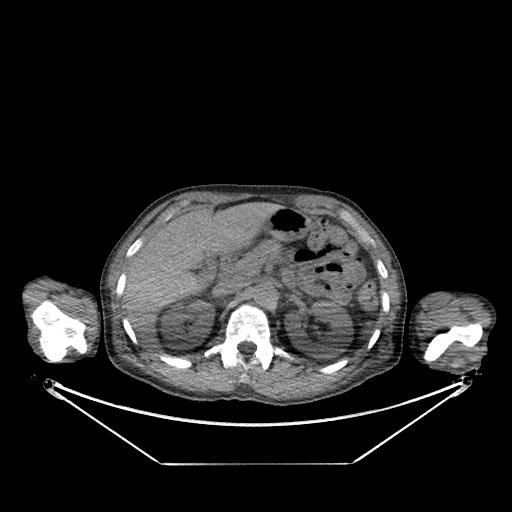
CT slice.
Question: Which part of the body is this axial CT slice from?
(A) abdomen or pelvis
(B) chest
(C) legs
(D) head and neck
Answer: (A) abdomen or pelvis
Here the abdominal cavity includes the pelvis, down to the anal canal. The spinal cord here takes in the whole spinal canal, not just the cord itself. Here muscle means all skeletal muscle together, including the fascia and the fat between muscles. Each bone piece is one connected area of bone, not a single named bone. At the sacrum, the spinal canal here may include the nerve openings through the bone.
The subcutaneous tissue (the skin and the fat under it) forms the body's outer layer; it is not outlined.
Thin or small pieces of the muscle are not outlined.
left arm: 438,289 463,290 481,294 486,297 496,309 496,322 488,337 488,352 482,358 481,365 474,370 470,370 466,375 461,376 442,371 430,370 414,357 409,347 408,327 412,308 415,303 426,293
bones 1: 244,303 256,306 265,313 272,345 279,346 294,357 290,360 274,355 265,370 260,363 253,364 245,372 247,382 240,381 240,375 244,371 240,364 225,368 219,353 208,357 203,354 205,350 224,340 231,312 with a hole at 244,341 246,341 247,342 251,342 255,345 255,349 254,350 253,353 251,355 251,356 250,356 249,357 245,357 244,356 244,355 242,353 241,353 238,349 238,345 240,343 241,343
bones 2: 47,299 52,301 64,313 72,318 78,318 87,326 87,328 84,331 84,336 87,342 87,349 84,354 80,354 74,348 68,346 66,355 59,361 50,361 44,355 39,343 40,330 32,321 30,314 41,302
bones 3: 476,322 479,322 481,324 483,332 479,341 473,346 467,347 456,341 451,344 435,360 428,363 424,360 423,358 423,352 427,347 430,340 436,334 440,332 446,331 453,325 464,325 468,323 475,323
bones 4: 341,208 348,211 357,220 359,224 374,240 375,242 375,244 376,245 374,247 370,244 368,244 365,242 363,242 361,241 356,231 353,228 352,228 351,226 346,221 339,218 338,216 338,210
bones 5: 159,354 167,354 168,355 171,355 172,356 177,356 178,357 183,357 184,358 186,358 190,360 192,364 191,366 187,368 176,368 174,366 169,365 164,361 161,360 158,356
bones 6: 183,200 189,200 189,203 187,205 179,209 171,217 170,217 169,219 168,219 166,221 164,222 157,222 159,218 159,216 160,214 165,209 166,209 171,205 173,204 175,204 178,202 180,202
bones 7: 343,358 347,358 348,359 348,361 347,363 344,366 336,370 334,372 332,372 331,373 324,373 323,372 321,372 319,371 319,369 321,367 323,367 326,365 328,365 329,364 334,363
bones 8: 139,237 142,237 142,238 143,239 143,243 142,244 142,245 139,248 139,249 133,255 132,255 130,257 126,257 126,252 127,251 127,250 128,249 128,248 131,245 131,244 137,238 138,238
bones 9: 124,317 127,318 127,320 129,322 129,323 131,326 131,328 133,330 133,331 135,334 135,337 138,342 138,343 137,344 135,344 134,343 133,343 133,342 128,336 128,335 123,326 123,324 122,323 122,319
bones 10: 123,272 124,272 125,273 125,285 124,286 124,288 123,289 123,292 122,293 122,294 121,295 121,296 118,296 116,293 116,286 117,285 117,282 118,281 118,279 119,278 119,277 120,276 120,275
bones 11: 377,259 380,259 382,261 382,262 383,263 383,264 384,265 384,266 386,268 386,269 387,270 387,273 388,274 388,275 386,278 383,278 379,274 379,273 377,270 377,268 376,267 376,261 377,260
bones 12: 376,328 378,328 380,330 380,333 379,334 379,336 378,337 377,340 373,345 373,346 370,349 369,349 368,350 367,349 367,345 368,344 368,342 370,339 370,337 372,335 372,334 373,333 374,330
bones 13: 383,291 386,291 386,292 388,294 388,296 389,297 389,310 387,312 385,312 382,309 382,298 381,297 381,296 382,295 382,292
muscle 1: 191,191 210,191 211,192 215,191 216,192 227,192 228,193 243,193 246,192 247,193 259,193 260,194 265,193 266,194 289,194 290,195 296,195 297,194 324,195 341,201 354,209 375,231 386,249 389,252 391,257 392,267 396,271 398,276 397,280 400,290 400,302 399,303 399,308 396,312 396,317 394,320 393,328 390,335 391,337 391,354 385,360 378,363 375,366 355,375 347,382 341,384 331,390 328,390 309,397 292,398 291,399 270,398 265,395 258,393 247,385 239,386 235,390 230,392 222,392 219,394 214,395 210,395 208,393 203,393 202,392 188,391 184,389 181,389 176,386 170,385 144,372 137,366 131,365 122,359 115,350 115,346 112,339 113,335 112,321 111,320 111,313 112,312 109,305 110,304 110,296 109,295 110,290 106,286 109,267 113,261 117,251 126,238 148,213 158,205 168,199 179,194; inner edges: 252,197 334,218 370,254 375,264 380,259 387,270 386,278 378,275 380,292 386,291 389,297 389,310 379,312 377,340 370,349 366,343 347,356 347,363 334,372 321,372 323,364 295,354 293,360 274,355 267,369 263,370 260,363 253,364 245,372 247,382 241,382 244,371 240,364 225,368 219,353 208,357 203,354 224,340 225,323 200,352 182,356 191,361 191,366 176,368 159,358 161,351 146,348 139,341 133,343 123,326 122,297 117,295 116,286 134,257 126,257 126,252 137,238 145,241 164,223 157,222 160,214 183,200 189,203 175,216, then 341,208 348,211 357,220 359,224 374,240 375,242 375,244 376,245 374,247 370,244 368,244 365,242 363,242 361,241 356,231 353,228 352,228 351,226 346,221 339,218 338,216 338,210
muscle 2: 441,292 476,298 490,312 491,321 484,333 483,350 481,356 473,365 447,367 435,365 432,362 456,342 467,348 477,344 484,332 479,321 453,324 446,330 436,333 423,351 420,348 415,331 418,306 424,297
muscle 3: 40,279 49,279 69,289 80,290 90,298 97,313 97,326 89,352 86,353 88,342 85,336 88,326 78,317 64,312 48,298 41,301 29,314 39,330 38,343 42,353 36,347 31,337 24,292 29,284
muscle 4: 271,330 273,332 273,333 276,336 276,337 277,338 277,341 281,345 282,345 287,350 286,350 285,349 284,349 282,347 281,347 279,345 273,345 273,344 272,343 272,342 271,341
right arm: 43,274 46,274 58,280 64,281 71,285 77,284 86,288 94,294 98,307 100,308 102,333 99,338 97,352 93,357 73,363 56,364 42,360 32,351 26,339 27,325 20,300 20,293 23,285 27,281
abdominal cavity: 252,197 332,217 370,254 378,273 381,309 367,343 352,355 324,365 289,352 278,341 266,313 248,302 230,312 226,323 200,352 172,355 146,348 138,341 124,316 122,295 128,266 144,241 173,216
torso: 207,183 302,185 334,191 354,201 387,238 403,271 407,289 407,311 399,362 385,373 370,378 347,392 292,406 237,400 188,400 166,394 116,369 106,354 103,339 99,281 105,260 120,236 152,201 176,188
spinal cord: 244,341 246,341 247,342 251,342 255,345 255,349 254,350 253,353 251,355 251,356 250,356 249,357 245,357 244,356 244,355 242,353 241,353 238,349 238,345 240,343 241,343